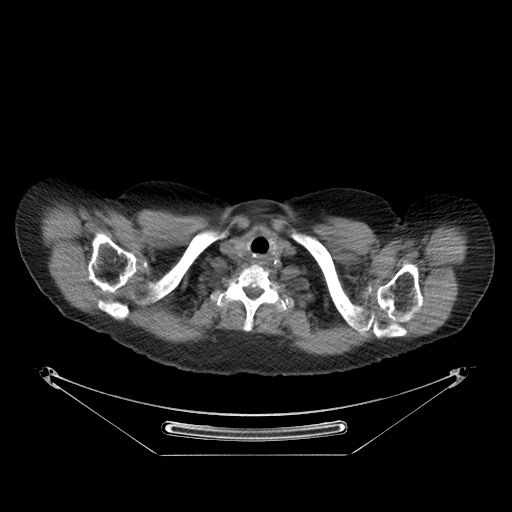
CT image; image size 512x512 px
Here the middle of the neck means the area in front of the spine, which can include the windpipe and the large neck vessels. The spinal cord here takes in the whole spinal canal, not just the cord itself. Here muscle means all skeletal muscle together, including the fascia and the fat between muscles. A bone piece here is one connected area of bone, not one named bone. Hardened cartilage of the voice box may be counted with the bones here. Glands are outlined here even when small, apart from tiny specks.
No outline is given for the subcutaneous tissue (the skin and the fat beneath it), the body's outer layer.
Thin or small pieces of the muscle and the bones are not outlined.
The left arm is outlined by (432, 192) (451, 192) (467, 195) (472, 197) (481, 206) (489, 220) (494, 237) (495, 263) (489, 286) (465, 326) (459, 332) (449, 337) (416, 349) (395, 336) (371, 310) (365, 291) (365, 270) (373, 249) (394, 216) (396, 214) (402, 215) (410, 203) (417, 198). The muscle is outlined by (52, 198) (125, 215) (143, 208) (205, 214) (215, 223) (250, 210) (283, 213) (295, 225) (334, 215) (365, 222) (385, 242) (452, 218) (471, 228) (471, 245) (451, 314) (428, 335) (399, 337) (424, 301) (415, 263) (377, 287) (389, 320) (381, 323) (347, 295) (322, 242) (293, 228) (289, 236) (317, 263) (344, 321) (387, 338) (325, 356) (235, 330) (173, 343) (118, 321) (130, 312) (119, 300) (99, 298) (104, 315) (63, 297) (40, 222) (41, 206), around holes outlined by (258, 233) (294, 246) (296, 253) (277, 265) (262, 266) (269, 279) (279, 284) (279, 294) (292, 297) (294, 304) (279, 310) (262, 303) (254, 313) (252, 329) (245, 331) (243, 303) (232, 300) (219, 306) (210, 293) (224, 290) (230, 278) (249, 266) (227, 257) (222, 241) and by (98, 232) (104, 233) (115, 243) (125, 250) (131, 252) (136, 257) (136, 271) (128, 279) (127, 282) (123, 286) (117, 289) (115, 292) (110, 292) (109, 291) (102, 290) (100, 287) (96, 285) (88, 278) (89, 276) (88, 263) (92, 254) (92, 245) (91, 243) (96, 233) and by (208, 229) (216, 230) (219, 232) (226, 231) (227, 234) (224, 237) (211, 243) (196, 257) (181, 278) (177, 286) (170, 292) (155, 302) (144, 305) (138, 304) (136, 301) (143, 298) (147, 293) (147, 284) (148, 282) (155, 282) (162, 277) (180, 259) (193, 237) (198, 233) and by (368, 285) (370, 285) (371, 286) (371, 287) (372, 288) (372, 291) (366, 297) (365, 297) (365, 296) (364, 295) (364, 293) (365, 292) (365, 291) (366, 290) (366, 288) (367, 287) (367, 286) and by (144, 260) (146, 260) (148, 262) (148, 263) (149, 264) (149, 268) (148, 269) (148, 271) (147, 271) (146, 270) (146, 269) (143, 266) (143, 261). The spinal cord is outlined by (245, 287) (251, 287) (252, 288) (256, 288) (257, 287) (258, 288) (260, 288) (262, 290) (262, 292) (257, 297) (256, 297) (255, 298) (250, 298) (246, 294) (246, 293) (245, 292) (245, 291) (244, 290) (244, 288). The torso is outlined by (152, 179) (183, 182) (234, 203) (262, 195) (279, 200) (331, 186) (355, 187) (382, 196) (396, 213) (368, 257) (364, 291) (372, 313) (415, 350) (329, 374) (194, 373) (154, 362) (106, 334) (66, 318) (123, 298) (139, 283) (145, 267) (143, 242) (117, 197) (130, 185). The bones appear in 5 outlined pieces: piece 1: (293, 229) (321, 242) (346, 295) (361, 305) (368, 316) (373, 312) (381, 324) (390, 320) (377, 302) (378, 287) (405, 263) (415, 264) (423, 301) (419, 310) (401, 323) (407, 331) (405, 335) (378, 338) (371, 329) (361, 333) (350, 326) (332, 301) (318, 263) (290, 236); piece 2: (252, 264) (268, 270) (269, 279) (280, 286) (279, 294) (292, 297) (294, 304) (279, 310) (274, 304) (262, 303) (254, 313) (252, 329) (245, 331) (242, 328) (246, 317) (243, 303) (232, 300) (219, 306) (210, 298) (210, 293) (216, 289) (224, 290) (230, 278) (237, 277) with a hole at (245, 287) (251, 287) (252, 288) (256, 288) (257, 287) (258, 288) (260, 288) (262, 290) (262, 292) (257, 297) (256, 297) (255, 298) (250, 298) (246, 294) (246, 293) (245, 292) (245, 291) (244, 290) (244, 288); piece 3: (98, 232) (104, 233) (115, 243) (125, 250) (131, 252) (136, 257) (136, 271) (128, 279) (127, 282) (123, 286) (117, 289) (115, 292) (110, 292) (109, 291) (102, 290) (100, 287) (96, 285) (88, 278) (89, 276) (88, 263) (92, 254) (92, 245) (91, 243) (96, 233); piece 4: (208, 229) (216, 230) (219, 232) (226, 231) (227, 234) (224, 237) (211, 243) (196, 257) (181, 278) (177, 286) (170, 292) (155, 302) (144, 305) (138, 304) (136, 301) (143, 298) (147, 293) (147, 284) (148, 282) (155, 282) (162, 277) (180, 259) (193, 237) (198, 233); piece 5: (99, 299) (102, 299) (106, 301) (119, 301) (124, 304) (126, 304) (129, 310) (129, 312) (128, 313) (128, 315) (127, 317) (122, 320) (117, 320) (113, 318) (111, 316) (110, 316) (107, 313) (102, 311) (98, 307) (98, 300). The thyroid glands appear in 2 outlined pieces: piece 1: (240, 239) (245, 239) (247, 241) (247, 249) (246, 250) (246, 252) (245, 253) (245, 254) (243, 256) (242, 256) (241, 257) (240, 256) (239, 256) (237, 254) (237, 253) (236, 252) (236, 251) (235, 250) (235, 249) (234, 248) (234, 243) (237, 240) (239, 240); piece 2: (272, 240) (275, 240) (277, 242) (278, 242) (279, 243) (280, 243) (283, 246) (283, 247) (282, 248) (282, 249) (280, 251) (280, 252) (277, 255) (273, 255) (272, 254) (272, 251) (273, 250) (273, 249) (272, 248). The middle of the neck is outlined by (258, 233) (265, 234) (282, 242) (294, 246) (296, 253) (281, 260) (277, 265) (270, 264) (262, 266) (257, 263) (252, 263) (249, 265) (247, 263) (239, 263) (231, 258) (227, 257) (221, 250) (221, 243) (223, 240) (233, 237) (241, 238) (243, 236) (252, 236) (254, 234) with a hole at (240, 239) (245, 239) (247, 241) (247, 249) (246, 250) (246, 252) (245, 253) (245, 254) (243, 256) (242, 256) (241, 257) (240, 256) (239, 256) (237, 254) (237, 253) (236, 252) (236, 251) (235, 250) (235, 249) (234, 248) (234, 243) (237, 240) (239, 240). The right arm is outlined by (50, 173) (64, 173) (77, 176) (91, 183) (105, 195) (111, 198) (116, 197) (118, 200) (140, 237) (144, 253) (144, 267) (142, 275) (138, 283) (127, 295) (82, 313) (62, 315) (39, 290) (29, 274) (17, 247) (14, 231) (14, 214) (17, 202) (26, 187) (36, 178).